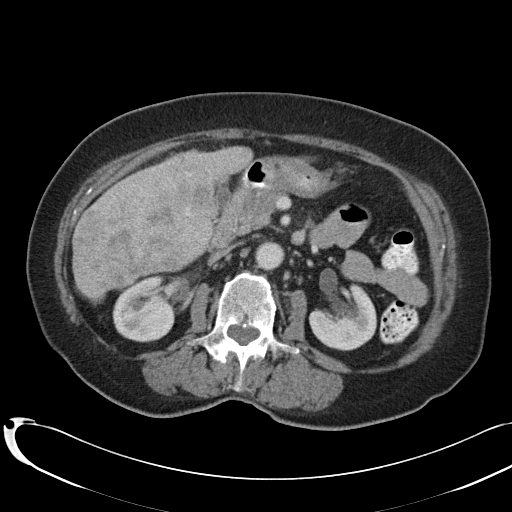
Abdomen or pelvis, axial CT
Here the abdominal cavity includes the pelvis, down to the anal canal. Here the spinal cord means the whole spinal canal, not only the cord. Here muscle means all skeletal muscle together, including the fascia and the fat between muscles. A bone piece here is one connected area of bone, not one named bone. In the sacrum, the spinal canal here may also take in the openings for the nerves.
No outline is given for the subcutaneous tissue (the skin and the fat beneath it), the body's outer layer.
The torso is outlined by [[216,91],[292,92],[357,104],[427,131],[463,162],[487,212],[492,289],[481,354],[451,390],[410,414],[338,431],[283,424],[239,400],[181,416],[150,417],[102,396],[50,348],[34,313],[25,261],[34,213],[51,178],[76,145],[108,120],[149,104]]. The bones are outlined by [[244,271],[263,275],[269,281],[276,303],[274,336],[300,351],[294,354],[278,349],[274,356],[269,350],[263,358],[250,356],[242,372],[239,392],[233,389],[239,378],[239,362],[233,352],[221,363],[202,345],[188,345],[187,341],[212,329],[224,284]], around a hole outlined by [[231,325],[239,325],[240,326],[241,326],[243,328],[245,328],[246,327],[252,327],[253,328],[255,328],[258,331],[258,335],[257,336],[257,337],[256,337],[254,339],[251,340],[246,344],[240,344],[232,337],[229,336],[229,335],[228,334],[228,328]]. The abdominal cavity is outlined by [[256,137],[351,154],[401,184],[426,233],[435,301],[397,360],[353,368],[312,346],[304,290],[273,291],[265,275],[248,270],[228,279],[219,296],[216,284],[196,284],[189,327],[163,349],[127,353],[80,311],[67,251],[94,198],[165,150],[198,138]]. The spinal cord is outlined by [[231,325],[239,325],[240,326],[241,326],[243,328],[245,328],[246,327],[252,327],[253,328],[255,328],[258,331],[258,335],[257,336],[257,337],[256,337],[254,339],[251,340],[246,344],[240,344],[232,337],[229,336],[229,335],[228,334],[228,328]]. The muscle is outlined by [[222,127],[342,140],[433,186],[454,229],[460,280],[452,311],[429,351],[394,370],[348,376],[340,394],[317,411],[278,409],[241,392],[250,357],[301,351],[275,336],[274,291],[303,290],[306,340],[353,369],[397,361],[418,337],[436,301],[427,233],[400,181],[351,153],[272,136],[198,137],[160,151],[89,202],[75,221],[66,251],[68,286],[79,311],[95,332],[127,354],[163,350],[181,337],[191,325],[196,285],[216,285],[211,329],[186,344],[202,346],[221,364],[233,353],[238,378],[232,389],[207,398],[186,391],[158,393],[145,382],[138,363],[94,343],[81,326],[70,322],[60,301],[53,256],[60,219],[80,184],[121,154],[183,133]].